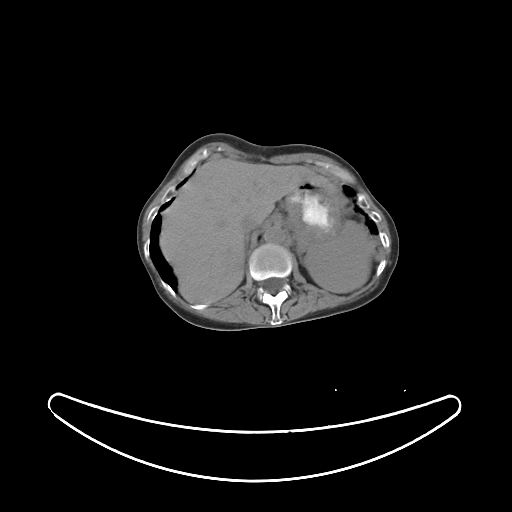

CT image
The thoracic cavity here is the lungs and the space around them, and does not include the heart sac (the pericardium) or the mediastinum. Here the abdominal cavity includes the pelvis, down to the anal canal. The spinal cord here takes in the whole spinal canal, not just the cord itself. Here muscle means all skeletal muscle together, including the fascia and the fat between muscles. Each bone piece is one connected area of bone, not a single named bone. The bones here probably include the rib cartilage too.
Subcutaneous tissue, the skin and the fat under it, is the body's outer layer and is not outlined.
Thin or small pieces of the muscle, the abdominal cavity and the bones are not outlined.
The bones appear in 9 outlined pieces: piece 1: [[266,243],[284,247],[289,251],[292,258],[292,269],[285,279],[285,281],[290,285],[291,290],[280,305],[279,313],[282,322],[277,325],[272,325],[270,323],[272,317],[271,308],[258,298],[257,289],[259,284],[249,273],[248,261],[251,253],[258,246]]; inner edge: [[269,278],[280,278],[281,279],[283,279],[284,280],[284,282],[281,287],[281,289],[280,290],[279,290],[275,294],[271,294],[270,293],[267,292],[264,289],[264,288],[262,286],[262,285],[261,284],[261,282],[262,281],[263,281],[264,280],[266,280]]; piece 2: [[205,148],[207,148],[209,150],[209,154],[205,158],[200,160],[195,165],[195,166],[193,168],[192,171],[189,174],[189,175],[188,175],[185,178],[184,178],[180,181],[179,180],[179,177],[181,175],[182,173],[182,170],[186,163],[196,153],[200,152]]; piece 3: [[315,161],[322,161],[323,162],[326,162],[327,163],[329,163],[331,164],[334,167],[336,167],[339,169],[341,169],[343,170],[351,177],[351,178],[353,180],[353,182],[350,184],[346,184],[344,183],[338,177],[337,177],[329,171],[317,165],[314,162]]; piece 4: [[173,184],[176,185],[175,187],[175,191],[171,194],[171,197],[169,199],[169,200],[166,201],[160,206],[151,224],[149,223],[147,221],[147,216],[148,215],[148,213],[154,206],[158,205],[159,204],[160,202],[160,199],[165,192],[165,191],[169,186]]; piece 5: [[357,193],[362,193],[364,194],[366,198],[366,200],[369,204],[369,209],[372,211],[375,211],[377,212],[380,215],[381,217],[381,220],[378,223],[376,224],[370,218],[370,217],[366,213],[366,212],[358,205],[356,201],[357,200],[357,196],[356,195]]; piece 6: [[379,230],[380,230],[381,231],[382,231],[383,232],[384,232],[387,235],[387,236],[389,239],[389,241],[390,242],[390,245],[388,248],[385,248],[382,246],[382,245],[381,244],[381,242],[380,241],[380,239],[379,238],[379,236],[378,235],[378,231]]; piece 7: [[149,235],[149,237],[150,238],[150,242],[149,243],[149,254],[150,255],[150,258],[151,259],[151,260],[150,260],[149,261],[147,261],[145,259],[145,257],[144,256],[144,252],[143,251],[143,245],[144,244],[145,241],[147,239],[147,238]]; piece 8: [[382,259],[385,259],[385,260],[386,261],[386,263],[385,264],[385,267],[384,268],[384,269],[382,271],[382,272],[380,274],[380,275],[379,275],[378,276],[375,276],[375,272],[376,271],[376,268],[377,267],[377,266],[378,265],[379,262]]; piece 9: [[161,278],[165,282],[166,282],[174,290],[174,291],[176,293],[176,297],[173,297],[171,295],[171,294],[167,290],[166,290],[163,287],[163,286],[162,285],[162,284],[161,283],[161,281],[160,280],[160,279]]. The abdominal cavity is outlined by [[218,153],[275,165],[310,162],[348,185],[343,193],[377,234],[378,263],[367,283],[348,295],[323,291],[306,280],[294,253],[266,242],[250,253],[245,282],[231,295],[211,305],[182,299],[176,292],[178,278],[159,248],[160,211],[174,201],[196,165]]. The thoracic cavity appears in 2 outlined pieces: piece 1: [[194,169],[193,174],[186,180],[176,190],[176,194],[173,201],[166,208],[159,211],[162,217],[158,236],[158,248],[167,263],[171,266],[177,278],[177,291],[175,291],[160,276],[152,261],[150,254],[150,230],[161,206],[171,199],[172,194],[173,194],[176,191],[176,187],[178,184],[189,176]]; piece 2: [[344,186],[349,186],[355,191],[355,195],[356,196],[356,200],[355,201],[357,205],[365,212],[369,218],[376,225],[377,233],[374,233],[371,231],[367,223],[365,216],[361,212],[359,212],[355,209],[353,201],[344,193],[343,189]]. The torso is outlined by [[216,132],[230,133],[261,145],[288,143],[316,145],[331,150],[347,160],[389,212],[397,229],[398,260],[383,292],[369,303],[352,311],[281,327],[217,331],[194,326],[176,315],[159,298],[142,265],[136,245],[136,224],[145,201],[181,151],[197,138]]. The muscle appears in 3 outlined pieces: piece 1: [[209,142],[224,142],[248,154],[265,158],[284,154],[310,152],[322,154],[337,161],[354,175],[372,202],[384,216],[391,236],[391,252],[389,264],[386,266],[387,261],[385,258],[378,260],[378,236],[383,248],[388,249],[390,247],[391,245],[391,242],[388,235],[377,228],[377,224],[382,220],[382,217],[377,211],[370,209],[370,204],[364,193],[356,193],[356,191],[349,185],[352,184],[354,180],[343,169],[322,160],[280,164],[242,160],[230,157],[221,152],[210,154],[210,150],[207,147],[196,152],[185,163],[178,177],[179,181],[176,184],[173,183],[169,185],[160,197],[158,204],[154,205],[147,213],[146,221],[150,224],[150,229],[143,244],[142,222],[147,208],[181,164],[199,147]]; piece 2: [[150,261],[160,277],[162,287],[173,298],[179,296],[189,304],[191,309],[198,311],[221,302],[243,286],[247,277],[247,262],[248,273],[258,284],[256,289],[257,298],[270,308],[269,323],[218,322],[182,309],[164,293],[155,274],[148,265],[147,262]]; piece 3: [[291,253],[294,254],[297,267],[308,283],[323,292],[336,296],[348,296],[365,286],[374,274],[375,277],[382,274],[378,285],[371,292],[353,302],[311,313],[293,320],[283,321],[280,313],[281,305],[292,290],[291,285],[286,281],[293,269],[293,258]]. The spinal cord is outlined by [[269,278],[280,278],[281,279],[283,279],[284,280],[284,282],[281,287],[281,289],[280,290],[279,290],[275,294],[271,294],[270,293],[267,292],[264,289],[264,288],[262,286],[262,285],[261,284],[261,282],[262,281],[263,281],[264,280],[266,280]].